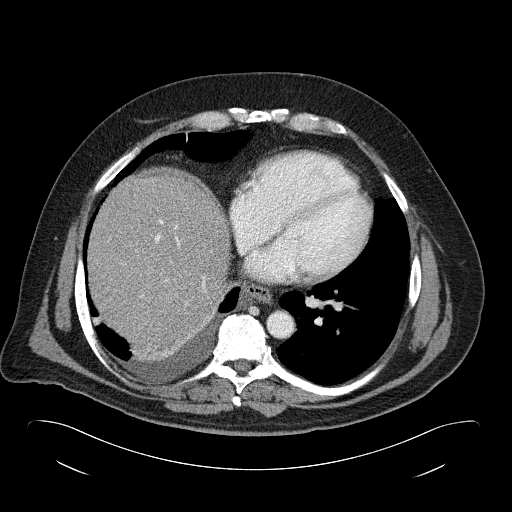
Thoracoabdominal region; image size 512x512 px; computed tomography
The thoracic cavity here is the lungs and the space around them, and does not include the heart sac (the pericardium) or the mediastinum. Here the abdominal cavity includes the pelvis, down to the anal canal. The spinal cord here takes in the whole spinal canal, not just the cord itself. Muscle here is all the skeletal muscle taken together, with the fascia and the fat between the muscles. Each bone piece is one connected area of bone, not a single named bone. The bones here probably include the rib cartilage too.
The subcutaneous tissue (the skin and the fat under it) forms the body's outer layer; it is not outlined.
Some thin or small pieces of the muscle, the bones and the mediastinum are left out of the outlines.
{"abdominal_cavity":[[[153,167],[174,167],[186,171],[198,178],[220,200],[225,208],[231,234],[231,256],[227,277],[235,285],[225,294],[217,307],[217,311],[209,321],[197,331],[163,346],[143,348],[130,343],[100,316],[88,287],[87,250],[94,220],[106,194],[132,172]]],"bones":[{"outer":[[233,313],[247,314],[259,321],[272,355],[294,374],[318,385],[350,383],[387,361],[366,384],[338,396],[304,390],[274,374],[255,379],[242,389],[241,403],[236,406],[232,401],[236,388],[228,378],[211,373],[181,382],[198,372],[212,357],[218,327]],"hole":[[239,359],[244,359],[245,360],[248,361],[250,363],[250,364],[251,365],[251,368],[247,372],[247,373],[244,375],[240,375],[239,374],[238,374],[238,373],[235,370],[235,369],[233,367],[233,365],[234,364],[234,363],[237,360],[238,360]]},[[229,107],[242,107],[248,112],[254,109],[270,111],[283,107],[292,112],[309,112],[322,120],[331,119],[341,123],[347,133],[335,134],[326,129],[314,132],[299,131],[274,121],[235,122],[213,131],[199,130],[190,124],[190,117],[209,110],[225,111]],[[81,254],[85,278],[85,295],[89,314],[91,320],[93,322],[93,328],[96,337],[106,354],[105,357],[110,366],[116,372],[124,377],[129,384],[121,380],[105,367],[93,352],[83,333],[76,311],[74,299],[75,272],[77,261]],[[135,146],[137,146],[140,149],[139,153],[123,168],[122,168],[116,174],[116,175],[113,178],[113,179],[103,189],[102,189],[97,193],[93,193],[94,186],[96,184],[96,183],[98,181],[100,177],[108,169],[108,168],[123,154],[128,152],[133,147]],[[415,254],[417,254],[419,256],[419,260],[420,261],[420,268],[421,269],[421,285],[420,286],[419,294],[418,295],[417,300],[414,306],[411,308],[408,304],[407,296],[408,295],[408,286],[409,285],[409,277],[410,276],[410,266],[411,265],[411,261]],[[382,172],[386,172],[396,182],[396,183],[401,189],[406,199],[406,201],[407,202],[407,213],[405,215],[404,215],[404,214],[400,209],[396,200],[393,197],[390,190],[388,188],[388,186],[386,184],[384,179],[382,177],[382,175],[381,174]]],"mediastinum":[[[261,122],[348,138],[375,167],[391,196],[375,200],[370,179],[357,165],[337,151],[311,145],[275,147],[250,161],[232,182],[226,207],[186,170],[153,166],[133,171],[166,150],[182,150],[200,162],[225,159],[246,143],[250,132],[214,131],[236,123]],[[233,247],[237,271],[245,280],[271,287],[311,288],[306,294],[287,291],[278,299],[279,305],[293,316],[297,327],[275,349],[278,360],[273,355],[272,347],[267,342],[268,335],[259,320],[243,312],[227,314],[235,308],[240,292],[240,287],[228,277]]],"pericardium":[[[289,145],[318,147],[337,152],[357,166],[369,179],[374,200],[373,222],[369,239],[357,259],[332,279],[311,287],[264,285],[249,281],[242,277],[236,264],[235,250],[234,247],[232,247],[230,223],[226,212],[231,188],[239,172],[263,153]]],"muscle":[[[200,111],[187,120],[198,130],[161,136],[141,150],[135,145],[99,177],[93,186],[92,193],[97,194],[89,211],[81,253],[76,261],[73,299],[82,333],[107,370],[130,384],[111,366],[107,354],[124,372],[146,384],[165,384],[182,378],[180,382],[183,384],[211,374],[228,379],[235,388],[231,401],[239,407],[220,415],[172,411],[155,401],[117,390],[27,348],[48,280],[89,188],[102,171],[136,141],[172,120]],[[403,191],[430,228],[451,292],[445,348],[407,381],[348,405],[270,417],[240,406],[240,394],[249,383],[272,375],[304,391],[338,397],[366,385],[385,367],[385,359],[356,378],[387,349],[406,302],[415,306],[422,285],[420,256],[415,253],[410,261]],[[344,125],[347,126],[355,132],[362,139],[367,142],[367,143],[377,152],[387,164],[391,171],[391,173],[395,178],[396,181],[386,171],[382,171],[380,174],[379,173],[376,167],[358,146],[356,145],[351,139],[345,136],[346,136],[348,133]]],"torso":[[[245,71],[303,72],[343,82],[381,102],[409,128],[456,202],[482,265],[480,325],[463,361],[427,394],[385,414],[342,427],[259,437],[158,425],[57,384],[4,379],[0,350],[14,320],[26,256],[45,200],[70,155],[104,118],[148,90],[198,75]]],"thoracic_cavity":[[[392,196],[405,218],[410,262],[406,301],[395,334],[379,358],[355,378],[339,385],[322,385],[310,381],[279,361],[276,349],[298,329],[294,316],[280,305],[279,299],[283,294],[293,291],[306,295],[314,286],[334,280],[349,268],[370,239],[375,201]],[[202,130],[247,130],[243,145],[216,161],[193,159],[182,149],[151,155],[105,194],[89,233],[91,301],[103,321],[138,348],[197,332],[239,287],[211,357],[184,377],[146,383],[118,366],[97,337],[86,295],[84,234],[97,195],[144,148],[170,134]]],"spinal_cord":[[[239,359],[244,359],[245,360],[248,361],[250,363],[250,364],[251,365],[251,368],[247,372],[247,373],[244,375],[240,375],[239,374],[238,374],[238,373],[235,370],[235,369],[233,367],[233,365],[234,364],[234,363],[237,360],[238,360]]]}